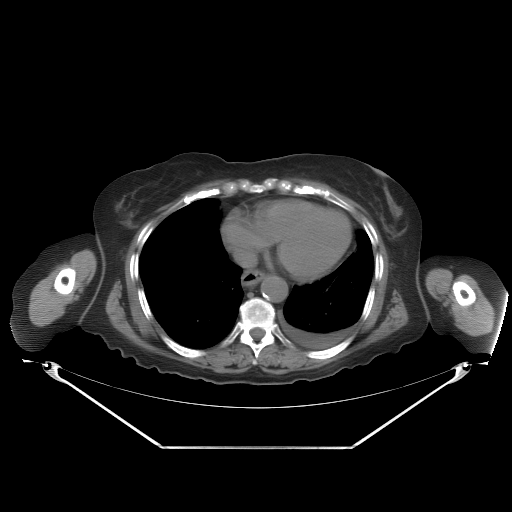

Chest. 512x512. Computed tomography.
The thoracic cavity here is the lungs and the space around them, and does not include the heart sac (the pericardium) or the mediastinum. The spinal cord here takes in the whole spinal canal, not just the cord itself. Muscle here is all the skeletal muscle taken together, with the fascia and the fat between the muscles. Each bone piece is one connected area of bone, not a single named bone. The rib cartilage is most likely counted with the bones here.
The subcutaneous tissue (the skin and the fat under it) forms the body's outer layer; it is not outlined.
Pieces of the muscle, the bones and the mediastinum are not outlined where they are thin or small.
Outlines:
right arm: [[93,231],[99,245],[103,271],[100,281],[80,320],[79,327],[76,326],[67,331],[58,333],[48,345],[41,350],[27,351],[22,349],[18,346],[14,339],[9,321],[12,310],[11,291],[15,281],[26,267],[35,259],[40,251],[46,246],[66,237]]
thoracic cavity 1: [[206,198],[212,198],[217,201],[217,208],[220,213],[218,229],[221,242],[228,259],[241,268],[239,280],[243,295],[238,307],[238,319],[229,333],[220,342],[201,349],[188,347],[175,341],[154,317],[139,275],[139,256],[151,233],[166,217],[196,200]]
thoracic cavity 2: [[362,229],[368,236],[371,244],[374,267],[373,276],[359,319],[355,323],[349,336],[335,345],[323,349],[306,349],[297,345],[283,333],[276,321],[276,314],[282,311],[288,296],[295,286],[311,284],[327,276],[336,270],[354,253],[359,246],[356,234]]
bones 1: [[254,297],[261,298],[272,305],[275,310],[275,321],[282,333],[293,344],[291,347],[276,339],[274,343],[261,349],[255,365],[252,363],[255,357],[252,349],[247,344],[241,343],[237,338],[230,344],[221,346],[221,342],[230,333],[239,319],[240,305]], around a hole outlined by [[254,328],[260,328],[261,329],[262,329],[264,331],[264,334],[263,335],[263,336],[260,339],[259,339],[258,340],[255,340],[251,336],[251,335],[250,334],[250,331],[252,329],[253,329]]
bones 2: [[272,177],[287,180],[293,185],[311,185],[327,189],[351,205],[353,212],[319,195],[295,194],[277,189],[262,192],[240,190],[230,195],[222,192],[215,196],[196,199],[172,212],[168,210],[186,194],[215,187],[221,189],[231,181],[248,180],[261,183]]
bones 3: [[65,267],[70,267],[71,268],[73,268],[75,270],[75,282],[74,283],[74,286],[73,287],[73,289],[69,293],[67,294],[61,294],[55,290],[53,286],[53,284],[54,283],[54,280],[57,274],[59,272],[59,271],[62,268],[64,268]]
bones 4: [[458,280],[462,280],[466,282],[472,288],[472,289],[475,293],[475,295],[476,296],[475,301],[470,305],[468,305],[467,306],[462,306],[460,305],[456,301],[455,299],[455,296],[452,291],[452,284],[454,282],[454,281],[457,281]]
bones 5: [[350,336],[353,336],[353,339],[352,341],[343,350],[342,350],[337,354],[331,357],[325,358],[324,359],[318,359],[317,358],[311,358],[310,357],[308,357],[306,355],[306,352],[309,350],[323,350],[324,349],[330,348],[342,342]]
bones 6: [[164,334],[165,335],[167,335],[175,342],[178,343],[182,346],[184,346],[188,348],[191,348],[192,349],[200,349],[201,350],[205,350],[206,351],[206,353],[204,355],[194,357],[193,358],[180,355],[171,349],[162,340],[161,335],[163,335]]
bones 7: [[371,286],[372,286],[375,290],[375,293],[374,294],[374,298],[373,299],[372,306],[369,312],[369,314],[366,319],[362,320],[360,319],[360,317],[361,316],[361,314],[364,307],[364,304],[365,303],[365,301],[366,300],[366,298],[367,297],[369,289]]
bones 8: [[139,288],[143,288],[143,290],[144,291],[144,294],[145,295],[146,300],[148,303],[148,305],[150,308],[150,310],[153,315],[153,318],[151,319],[147,319],[140,305],[140,303],[139,302],[139,298],[138,297],[138,293],[137,292]]
bones 9: [[150,221],[152,222],[154,226],[154,228],[153,230],[150,233],[150,234],[148,236],[146,240],[144,242],[142,247],[141,248],[139,248],[139,247],[137,245],[137,238],[142,228],[148,222]]
bones 10: [[364,218],[367,219],[371,223],[371,224],[373,226],[376,232],[376,234],[377,235],[377,244],[374,247],[372,247],[372,244],[369,238],[369,236],[367,234],[367,233],[365,231],[365,230],[363,228],[361,224]]
bones 11: [[134,253],[138,253],[138,254],[139,255],[138,256],[138,275],[139,276],[139,277],[138,278],[138,279],[137,279],[136,280],[132,280],[131,279],[131,277],[130,276],[130,271],[129,270],[129,264],[130,263],[130,258],[131,257],[132,254],[133,254]]
bones 12: [[377,253],[379,253],[381,254],[382,256],[382,259],[383,260],[383,271],[382,272],[382,275],[381,276],[381,278],[377,281],[375,280],[373,277],[374,276],[374,268],[375,267],[375,261],[374,260],[374,256],[375,254]]
mediastinum 1: [[228,253],[237,263],[244,267],[260,266],[271,272],[277,272],[285,276],[292,283],[299,285],[295,285],[292,288],[285,300],[281,311],[278,311],[276,313],[275,308],[270,302],[258,296],[248,298],[242,302],[244,295],[240,280],[242,268],[229,259]]
mediastinum 2: [[269,190],[277,190],[282,193],[294,194],[280,193],[279,194],[271,194],[270,195],[264,195],[263,196],[249,198],[232,207],[227,212],[221,221],[220,225],[221,213],[218,208],[218,201],[215,198],[212,197],[230,196],[240,191],[246,193],[262,193]]
mediastinum 3: [[346,211],[351,214],[362,227],[362,228],[359,229],[355,234],[356,235],[356,240],[358,246],[356,250],[352,253],[356,247],[356,242],[354,238],[354,230],[356,227],[356,225],[354,223],[354,221],[352,220],[352,218],[350,217],[350,215],[348,214]]
pericardium: [[280,194],[313,198],[337,206],[349,215],[355,225],[353,230],[355,247],[353,251],[336,269],[311,283],[302,285],[294,283],[285,275],[277,271],[271,271],[260,265],[244,266],[237,262],[223,245],[220,234],[220,226],[222,221],[232,208],[249,199]]
muscle 1: [[225,178],[246,178],[253,181],[248,179],[231,180],[221,188],[215,186],[186,193],[167,210],[171,213],[155,227],[151,220],[148,221],[136,238],[136,245],[141,249],[139,254],[138,252],[131,254],[128,270],[132,281],[139,278],[141,281],[142,287],[139,287],[136,292],[144,316],[147,320],[154,318],[157,321],[166,334],[161,334],[160,338],[171,350],[180,356],[193,359],[204,356],[207,353],[205,349],[207,348],[219,343],[221,347],[225,347],[237,339],[241,344],[247,345],[251,349],[254,357],[251,361],[254,366],[239,373],[219,373],[147,351],[124,337],[111,324],[105,311],[105,302],[114,282],[117,279],[124,282],[125,256],[131,241],[156,210],[196,185]]
muscle 2: [[283,177],[297,177],[325,183],[358,203],[368,212],[378,229],[388,255],[389,270],[387,289],[390,291],[396,289],[401,295],[408,313],[408,321],[405,325],[384,338],[320,367],[272,374],[263,371],[256,365],[262,349],[274,344],[276,340],[291,348],[295,344],[308,350],[305,352],[305,355],[311,359],[324,360],[343,351],[354,339],[354,336],[350,335],[356,323],[359,320],[366,320],[369,316],[376,293],[371,283],[373,278],[375,281],[379,281],[384,271],[382,254],[377,252],[374,255],[373,253],[373,248],[378,244],[378,235],[374,226],[367,218],[364,217],[360,223],[350,213],[354,212],[354,207],[327,188],[311,184],[293,184],[287,179],[278,179]]
muscle 3: [[85,248],[92,250],[97,256],[98,265],[94,277],[89,284],[85,287],[79,299],[66,306],[65,313],[62,316],[42,327],[38,327],[34,325],[30,321],[28,316],[29,296],[32,289],[41,279],[44,278],[48,274],[55,264],[68,259],[74,252]] with a hole at [[65,267],[70,267],[71,268],[73,268],[75,270],[75,282],[74,283],[74,286],[73,287],[73,289],[69,293],[67,294],[61,294],[55,290],[53,286],[53,284],[54,283],[54,280],[57,274],[59,272],[59,271],[62,268],[64,268]]
muscle 4: [[437,267],[448,268],[456,274],[468,274],[477,281],[483,293],[493,307],[492,330],[490,329],[487,332],[478,336],[472,336],[460,330],[454,325],[452,316],[448,313],[445,308],[441,306],[439,302],[430,296],[424,284],[424,278],[426,273],[430,269]]; inner edge: [[458,280],[462,280],[466,282],[472,288],[472,289],[475,293],[475,295],[476,296],[475,301],[470,305],[468,305],[467,306],[462,306],[460,305],[456,301],[455,299],[455,296],[452,291],[452,284],[454,282],[454,281],[457,281]]
left arm: [[433,253],[463,254],[482,260],[495,270],[505,286],[507,291],[504,296],[499,323],[497,324],[498,325],[491,346],[487,353],[471,353],[467,351],[455,338],[450,335],[437,334],[429,325],[426,308],[417,278],[418,263],[420,256],[421,258],[423,258]]
spinal cord: [[254,328],[260,328],[261,329],[262,329],[264,331],[264,334],[263,335],[263,336],[260,339],[259,339],[258,340],[255,340],[251,336],[251,335],[250,334],[250,331],[252,329],[253,329]]
torso: [[183,152],[207,152],[228,161],[336,154],[392,177],[411,195],[422,219],[416,280],[429,326],[423,336],[396,353],[331,376],[255,385],[215,384],[147,369],[117,349],[108,349],[98,335],[83,331],[81,320],[104,271],[92,219],[97,196],[117,177]]